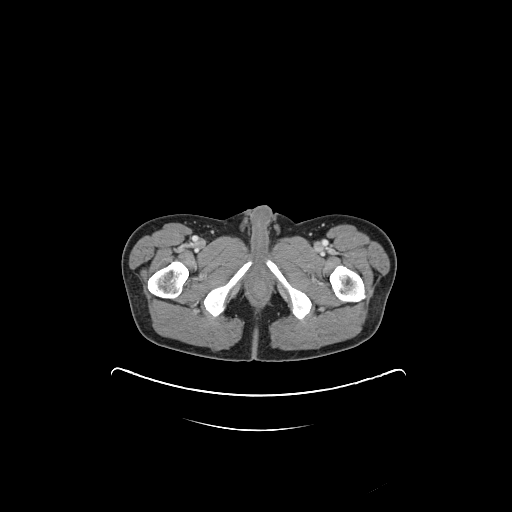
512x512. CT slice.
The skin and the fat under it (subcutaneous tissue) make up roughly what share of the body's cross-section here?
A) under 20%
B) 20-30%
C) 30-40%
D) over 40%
C) 30-40%
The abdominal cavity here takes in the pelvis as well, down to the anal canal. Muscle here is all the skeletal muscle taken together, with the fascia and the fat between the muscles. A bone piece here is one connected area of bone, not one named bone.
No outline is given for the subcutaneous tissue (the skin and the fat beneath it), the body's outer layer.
The abdominal cavity is outlined by 254 272; 263 272; 269 277; 271 281; 271 292; 269 294; 267 299; 266 299; 265 301; 263 302; 263 303; 261 303; 260 305; 257 305; 255 303; 254 303; 254 302; 250 298; 250 296; 248 295; 248 293; 246 291; 246 282; 248 278. The muscle is outlined by 169 222; 183 223; 205 239; 222 235; 238 237; 256 251; 269 249; 282 237; 298 235; 316 240; 332 226; 346 223; 378 237; 386 249; 390 266; 374 289; 361 331; 352 338; 315 349; 272 348; 268 326; 289 313; 286 302; 276 291; 268 304; 255 309; 243 293; 238 293; 226 310; 244 322; 242 337; 229 349; 213 350; 158 334; 152 327; 141 283; 129 267; 129 254; 140 237; 147 230, around holes outlined by 174 260; 178 260; 182 262; 187 267; 189 271; 189 275; 183 285; 183 287; 180 294; 177 297; 173 299; 161 298; 158 296; 156 296; 152 294; 148 290; 148 288; 147 287; 147 281; 149 277; 157 270; 162 267; 166 266; 169 263 and by 340 264; 344 265; 349 269; 355 271; 360 275; 363 281; 364 287; 365 288; 365 294; 366 295; 365 298; 357 302; 342 302; 335 295; 331 287; 331 285; 329 281; 329 275; 330 273; 334 269; 334 268; 337 265; 339 265 and by 248 260; 251 260; 252 261; 252 264; 242 276; 242 277; 229 291; 225 299; 225 308; 224 310; 217 316; 213 316; 211 315; 206 310; 203 304; 203 300; 207 293; 210 290; 215 287; 224 285; 237 271; 237 270; 245 262; 246 262 and by 267 259; 272 260; 277 265; 278 268; 285 277; 287 281; 293 287; 304 292; 309 297; 311 301; 311 307; 309 312; 302 319; 298 319; 293 314; 291 310; 291 301; 289 297; 289 294; 287 290; 266 265; 265 261 and by 254 272; 263 272; 269 277; 271 281; 271 292; 269 294; 267 299; 266 299; 265 301; 263 302; 263 303; 261 303; 260 305; 257 305; 255 303; 254 303; 254 302; 250 298; 250 296; 248 295; 248 293; 246 291; 246 282; 248 278. The torso is outlined by 263 204; 296 222; 333 213; 354 215; 373 222; 388 235; 396 252; 397 271; 376 332; 366 341; 347 350; 311 359; 282 362; 205 358; 158 346; 143 337; 134 323; 121 274; 122 250; 133 230; 147 220; 167 214; 189 213; 224 219. The bones appear in 4 outlined pieces: piece 1: 174 260; 178 260; 182 262; 187 267; 189 271; 189 275; 183 285; 183 287; 180 294; 177 297; 173 299; 161 298; 158 296; 156 296; 152 294; 148 290; 148 288; 147 287; 147 281; 149 277; 157 270; 162 267; 166 266; 169 263; piece 2: 340 264; 344 265; 349 269; 355 271; 360 275; 363 281; 364 287; 365 288; 365 294; 366 295; 365 298; 357 302; 342 302; 335 295; 331 287; 331 285; 329 281; 329 275; 330 273; 334 269; 334 268; 337 265; 339 265; piece 3: 248 260; 251 260; 252 261; 252 264; 242 276; 242 277; 229 291; 225 299; 225 308; 224 310; 217 316; 213 316; 211 315; 206 310; 203 304; 203 300; 207 293; 210 290; 215 287; 224 285; 237 271; 237 270; 245 262; 246 262; piece 4: 267 259; 272 260; 277 265; 278 268; 285 277; 287 281; 293 287; 304 292; 309 297; 311 301; 311 307; 309 312; 302 319; 298 319; 293 314; 291 310; 291 301; 289 297; 289 294; 287 290; 266 265; 265 261.